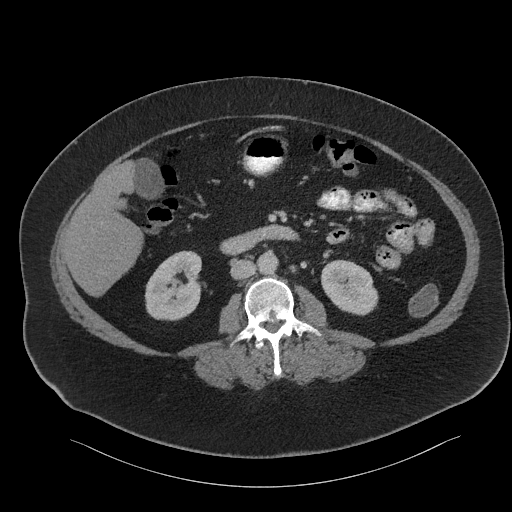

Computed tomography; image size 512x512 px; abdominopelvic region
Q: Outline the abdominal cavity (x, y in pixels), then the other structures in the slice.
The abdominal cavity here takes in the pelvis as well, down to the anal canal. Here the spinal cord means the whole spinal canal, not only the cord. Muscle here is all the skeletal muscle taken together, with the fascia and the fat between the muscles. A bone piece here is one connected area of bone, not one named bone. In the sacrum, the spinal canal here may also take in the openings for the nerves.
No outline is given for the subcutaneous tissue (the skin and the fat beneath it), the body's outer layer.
A: The abdominal cavity is outlined by 238 118; 343 132; 420 174; 465 246; 459 281; 439 311; 375 340; 330 327; 324 304; 305 286; 294 285; 295 298; 283 280; 264 276; 243 301; 235 292; 220 309; 219 338; 165 351; 92 308; 66 265; 64 236; 78 204; 152 142. The muscle is outlined by 260 113; 279 113; 280 114; 295 115; 326 123; 339 125; 342 127; 345 127; 365 134; 387 145; 403 156; 420 164; 443 182; 454 193; 468 209; 472 218; 472 221; 476 228; 480 245; 479 268; 476 277; 476 281; 468 296; 465 305; 462 309; 461 315; 448 327; 435 334; 432 334; 425 337; 421 337; 416 341; 405 344; 375 348; 372 351; 369 358; 367 359; 367 361; 362 369; 344 381; 329 383; 325 380; 317 379; 305 386; 301 386; 286 379; 281 379; 277 381; 274 381; 259 390; 252 390; 241 385; 229 390; 224 390; 208 385; 195 374; 194 371; 189 367; 185 359; 173 358; 167 356; 146 355; 135 352; 132 349; 129 348; 114 345; 88 332; 79 323; 70 318; 69 314; 64 308; 59 299; 59 296; 55 289; 51 278; 51 269; 49 264; 50 250; 54 241; 55 233; 65 213; 74 200; 93 182; 96 176; 111 161; 128 150; 132 146; 134 146; 149 137; 162 131; 197 120; 201 120; 210 117; 215 117; 220 115; 259 114 with a hole at 238 118; 343 132; 420 174; 465 246; 439 311; 375 340; 330 327; 324 304; 295 284; 294 315; 322 335; 283 336; 277 377; 268 340; 230 345; 247 324; 241 292; 220 309; 219 338; 176 351; 92 308; 66 265; 78 204; 152 142. The bones are outlined by 264 277; 275 278; 287 284; 294 297; 294 315; 322 333; 318 336; 304 331; 299 336; 293 331; 291 335; 280 339; 280 377; 274 374; 273 349; 268 340; 265 339; 259 348; 254 344; 254 337; 230 345; 247 324; 244 296; 252 283 with a hole at 274 321; 281 321; 282 322; 282 323; 281 324; 281 325; 278 328; 278 329; 276 331; 275 331; 274 332; 271 332; 270 331; 269 331; 268 330; 267 330; 262 325; 262 324; 263 323; 265 323; 266 322; 273 322. The torso is outlined by 247 75; 315 80; 389 102; 444 133; 476 167; 501 225; 510 336; 500 369; 475 396; 406 428; 347 448; 239 458; 188 451; 133 435; 70 408; 38 375; 22 337; 25 295; 18 234; 23 206; 41 173; 79 133; 126 102; 174 85. The spinal cord is outlined by 274 321; 281 321; 282 322; 282 323; 281 324; 281 325; 278 328; 278 329; 276 331; 275 331; 274 332; 271 332; 270 331; 269 331; 268 330; 267 330; 262 325; 262 324; 263 323; 265 323; 266 322; 273 322.